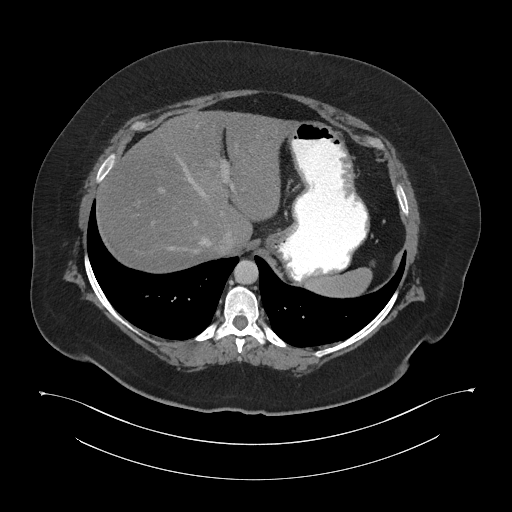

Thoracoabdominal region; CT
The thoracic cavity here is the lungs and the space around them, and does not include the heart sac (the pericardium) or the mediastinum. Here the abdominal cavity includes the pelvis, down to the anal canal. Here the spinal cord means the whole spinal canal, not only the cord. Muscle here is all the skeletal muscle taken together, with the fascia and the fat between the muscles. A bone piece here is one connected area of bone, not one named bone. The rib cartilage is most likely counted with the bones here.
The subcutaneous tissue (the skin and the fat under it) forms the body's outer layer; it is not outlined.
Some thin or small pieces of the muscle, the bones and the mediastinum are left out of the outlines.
spinal cord: 237 316; 243 316; 244 317; 245 317; 246 318; 246 319; 247 320; 247 324; 243 328; 242 328; 241 329; 239 329; 238 328; 237 328; 234 325; 234 324; 233 323; 233 321; 234 320; 234 319; 235 318; 235 317; 236 317
muscle: 261 88; 300 94; 323 101; 335 106; 366 122; 382 134; 393 145; 400 160; 403 163; 407 171; 407 174; 411 182; 414 191; 414 195; 418 204; 418 210; 420 215; 420 223; 418 234; 417 254; 415 257; 414 263; 416 267; 417 275; 419 276; 420 279; 420 284; 423 288; 426 298; 424 301; 413 301; 409 303; 400 310; 398 314; 391 321; 384 325; 375 334; 355 349; 326 362; 317 369; 307 374; 298 377; 289 375; 285 371; 280 371; 266 365; 252 365; 247 362; 231 362; 223 365; 218 364; 200 371; 198 370; 193 371; 178 370; 175 367; 160 359; 132 340; 109 320; 92 302; 85 299; 81 299; 80 298; 81 296; 80 289; 75 283; 68 282; 62 278; 64 271; 67 266; 67 263; 73 256; 72 250; 76 236; 79 231; 78 213; 79 212; 79 205; 83 194; 82 191; 84 181; 92 169; 99 155; 108 144; 109 140; 125 121; 131 117; 162 107; 168 104; 202 95; 206 95; 217 91; 231 90; 232 89; 260 89; inner edge: 254 94; 275 94; 295 100; 342 124; 362 141; 365 135; 379 138; 384 145; 382 150; 389 159; 393 186; 400 183; 407 199; 408 214; 401 214; 407 230; 407 243; 403 249; 406 257; 403 273; 396 287; 398 295; 395 302; 378 325; 365 336; 321 357; 313 353; 334 343; 315 347; 290 344; 281 347; 269 341; 261 344; 251 335; 245 337; 240 353; 233 334; 218 340; 208 338; 195 341; 191 337; 167 339; 139 328; 143 335; 157 342; 154 343; 129 329; 104 307; 85 271; 83 257; 88 251; 89 216; 100 185; 95 177; 105 158; 114 152; 117 160; 136 134; 136 131; 129 129; 130 125; 139 120; 151 124; 171 112
bones 1: 237 285; 244 286; 255 294; 259 301; 259 309; 263 310; 267 318; 266 322; 288 344; 287 347; 269 341; 261 344; 253 336; 247 335; 239 353; 233 334; 225 335; 218 340; 193 340; 192 338; 214 320; 216 310; 222 309; 224 294 with a hole at 237 316; 243 316; 244 317; 245 317; 246 318; 246 319; 247 320; 247 324; 243 328; 242 328; 241 329; 239 329; 238 328; 237 328; 234 325; 234 324; 233 323; 233 321; 234 320; 234 319; 235 318; 235 317; 236 317
bones 2: 396 289; 398 289; 398 295; 392 307; 378 325; 369 333; 357 341; 341 349; 331 352; 321 357; 317 357; 313 354; 316 350; 323 349; 327 347; 330 347; 338 342; 341 342; 347 339; 363 328; 369 322; 370 322; 385 306
bones 3: 85 252; 87 252; 88 254; 89 261; 98 284; 114 309; 123 318; 133 326; 136 327; 143 335; 154 340; 157 342; 157 343; 154 343; 138 335; 129 329; 125 325; 118 321; 100 302; 88 280; 85 271; 84 258; 83 257
bones 4: 112 152; 114 152; 116 153; 116 160; 115 161; 115 163; 113 165; 111 169; 108 172; 108 173; 105 176; 105 177; 99 183; 97 183; 95 180; 95 177; 96 176; 97 171; 100 165; 105 159; 105 158
bones 5: 397 183; 400 183; 401 184; 404 190; 404 192; 405 193; 405 195; 407 199; 407 202; 408 203; 408 214; 407 215; 404 215; 401 212; 401 210; 400 209; 400 206; 398 203; 398 200; 397 199; 397 197; 395 193; 395 185
bones 6: 365 135; 371 135; 372 136; 374 136; 375 137; 377 137; 378 138; 379 138; 381 140; 381 141; 383 143; 383 144; 384 145; 384 149; 379 149; 374 146; 372 146; 371 145; 370 145; 369 144; 366 143; 366 142; 364 140; 364 136
bones 7: 139 120; 144 120; 147 122; 149 122; 149 124; 148 124; 146 126; 141 128; 139 130; 138 130; 137 131; 134 131; 133 130; 130 130; 129 129; 129 127; 130 126; 130 125; 131 125; 134 122; 135 122; 136 121; 138 121
abdominal cavity: 254 94; 275 94; 304 104; 386 153; 394 193; 407 230; 407 243; 395 273; 377 289; 357 297; 320 295; 282 281; 262 256; 252 250; 210 259; 177 271; 150 273; 120 263; 104 245; 98 231; 94 197; 100 183; 136 133; 171 112
mediastinum: 251 251; 257 254; 254 257; 254 259; 258 268; 258 288; 260 299; 259 300; 256 294; 248 287; 237 284; 230 287; 223 294; 221 299; 222 307; 221 309; 219 307; 217 308; 219 297; 224 290; 225 284; 230 274; 239 260; 238 256
thoracic cavity 1: 93 200; 95 201; 97 231; 103 245; 120 264; 128 268; 150 274; 168 274; 185 270; 210 260; 234 256; 238 257; 238 260; 218 297; 214 318; 203 330; 190 338; 167 339; 151 334; 133 325; 115 309; 96 278; 88 253; 87 230
thoracic cavity 2: 404 251; 406 257; 403 273; 389 299; 370 321; 341 341; 315 347; 291 345; 271 328; 264 310; 260 309; 259 268; 255 259; 256 256; 262 258; 277 277; 290 286; 302 288; 328 298; 345 299; 357 298; 371 293; 388 282; 396 273
torso: 214 39; 334 53; 381 67; 422 93; 458 144; 481 208; 480 235; 459 306; 443 337; 422 343; 407 370; 379 391; 286 415; 197 411; 145 397; 95 365; 67 357; 35 324; 30 305; 31 204; 50 146; 88 96; 119 69; 169 46